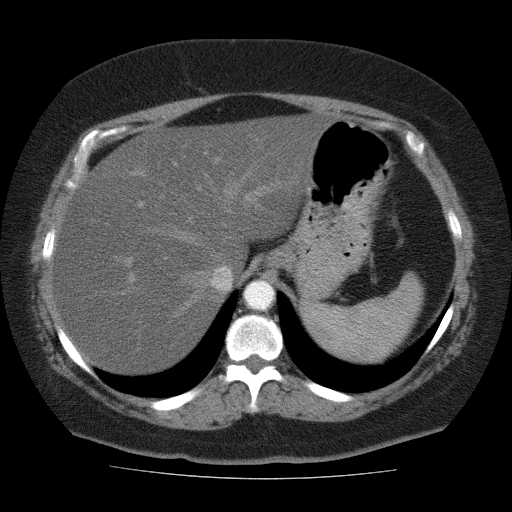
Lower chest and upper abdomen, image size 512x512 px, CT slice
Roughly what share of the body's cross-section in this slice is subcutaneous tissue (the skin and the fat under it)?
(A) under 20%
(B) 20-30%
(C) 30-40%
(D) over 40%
(C) 30-40%
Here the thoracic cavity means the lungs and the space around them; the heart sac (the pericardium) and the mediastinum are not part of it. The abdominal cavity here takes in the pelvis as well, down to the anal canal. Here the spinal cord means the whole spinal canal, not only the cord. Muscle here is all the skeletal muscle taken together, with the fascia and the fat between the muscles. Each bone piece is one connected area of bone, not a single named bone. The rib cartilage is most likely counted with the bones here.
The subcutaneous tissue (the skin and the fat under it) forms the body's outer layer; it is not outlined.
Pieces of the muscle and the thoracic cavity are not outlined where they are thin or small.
The torso is outlined by [[202,37],[300,38],[377,52],[441,83],[472,119],[501,183],[511,239],[511,272],[504,316],[491,355],[463,405],[440,431],[332,461],[203,464],[128,453],[75,436],[40,393],[10,328],[0,271],[4,208],[22,151],[45,110],[76,74],[138,47]]. The thoracic cavity appears in 2 outlined pieces: piece 1: [[278,291],[289,301],[303,332],[320,350],[337,360],[356,366],[380,366],[399,356],[423,336],[434,324],[448,301],[450,294],[452,292],[452,299],[422,354],[403,375],[375,389],[348,393],[330,388],[312,380],[294,363],[285,349],[280,327],[277,301]]; piece 2: [[236,291],[236,303],[223,340],[224,351],[221,351],[219,357],[208,374],[199,383],[188,390],[175,395],[160,398],[139,396],[120,391],[110,386],[104,382],[92,368],[97,368],[110,374],[134,377],[157,374],[175,366],[198,345],[208,331],[222,306]]. The abdominal cavity is outlined by [[234,96],[280,100],[322,117],[395,134],[431,183],[453,238],[453,290],[433,324],[396,357],[380,365],[356,365],[329,355],[304,332],[288,298],[259,273],[227,298],[181,361],[157,373],[130,376],[91,367],[62,327],[51,279],[56,232],[91,154]]. The muscle is outlined by [[251,90],[291,92],[300,94],[329,96],[334,98],[358,102],[383,110],[402,118],[410,122],[423,134],[432,146],[453,182],[457,193],[460,197],[461,203],[473,228],[476,245],[478,309],[476,314],[476,324],[470,338],[470,342],[468,347],[459,359],[446,366],[441,371],[436,373],[430,379],[416,389],[410,391],[393,402],[383,405],[360,417],[347,421],[339,422],[307,421],[286,418],[278,414],[266,414],[265,413],[249,414],[247,413],[244,414],[241,418],[234,421],[230,426],[225,428],[213,430],[190,430],[161,426],[135,417],[124,415],[108,407],[99,400],[88,394],[82,388],[77,386],[65,377],[58,374],[50,367],[46,360],[45,354],[40,347],[41,344],[36,336],[37,332],[34,326],[33,314],[30,309],[30,299],[27,293],[27,278],[29,271],[28,261],[30,253],[30,245],[34,237],[34,231],[36,225],[39,220],[39,213],[42,204],[49,191],[50,184],[55,174],[58,172],[70,148],[81,132],[88,127],[99,122],[166,102],[196,96],[203,96],[206,94]], around a hole outlined by [[234,96],[280,100],[375,130],[380,128],[364,120],[387,121],[412,131],[424,143],[426,162],[402,143],[443,211],[451,208],[461,227],[461,239],[453,239],[454,309],[432,348],[390,383],[353,392],[349,401],[333,401],[304,385],[308,377],[284,348],[274,364],[286,376],[285,383],[264,382],[256,398],[258,411],[251,413],[246,409],[251,400],[247,385],[240,380],[222,384],[217,377],[229,362],[222,350],[192,400],[157,410],[149,405],[157,397],[110,386],[81,368],[62,346],[55,327],[62,324],[52,293],[53,257],[44,259],[42,249],[46,233],[51,227],[57,231],[66,202],[88,170],[86,165],[74,189],[64,185],[84,136],[94,129],[129,126],[97,151]]. The bones appear in 9 outlined pieces: piece 1: [[245,314],[258,314],[271,319],[279,326],[284,345],[274,364],[286,376],[285,383],[273,379],[264,382],[256,398],[258,411],[253,413],[246,409],[251,400],[247,385],[240,380],[222,384],[217,377],[224,372],[229,362],[224,348],[227,329],[233,320]], around a hole outlined by [[251,355],[257,355],[260,358],[261,358],[263,360],[264,360],[266,362],[266,364],[265,365],[264,365],[258,371],[257,371],[256,372],[253,372],[251,370],[250,370],[243,363],[243,361],[244,361],[247,358],[248,358]]; piece 2: [[121,125],[128,125],[129,128],[124,132],[110,137],[109,139],[104,141],[99,147],[95,149],[88,158],[85,171],[77,183],[77,186],[74,189],[67,188],[64,185],[64,183],[71,174],[73,158],[77,152],[79,145],[84,136],[94,129],[105,130]]; piece 3: [[364,120],[387,121],[388,122],[391,122],[402,128],[408,129],[412,131],[415,135],[424,143],[424,152],[427,159],[426,162],[423,162],[422,160],[410,149],[406,142],[402,139],[397,131],[395,130],[381,129],[373,125],[366,123]]; piece 4: [[200,383],[202,384],[202,387],[200,392],[192,400],[183,404],[175,409],[170,409],[169,410],[157,410],[152,408],[149,405],[149,402],[150,401],[157,400],[161,398],[167,398],[168,397],[171,397],[172,396],[175,396],[181,394],[184,392],[188,391]]; piece 5: [[55,325],[58,325],[63,329],[63,330],[65,332],[65,333],[67,335],[67,336],[69,338],[77,351],[79,352],[83,360],[93,370],[93,371],[96,374],[97,377],[95,377],[86,372],[70,358],[68,354],[65,351],[64,348],[62,346],[58,338]]; piece 6: [[306,378],[308,378],[312,381],[322,386],[327,387],[330,389],[350,394],[352,395],[354,397],[354,398],[352,400],[350,400],[349,401],[337,402],[336,401],[333,401],[330,399],[327,399],[326,398],[321,397],[313,393],[304,385],[303,381]]; piece 7: [[451,302],[452,302],[454,304],[454,309],[453,310],[453,313],[452,314],[451,319],[445,331],[442,334],[441,337],[437,341],[437,342],[432,347],[432,348],[426,354],[422,355],[426,347],[433,337],[443,317],[443,315],[445,313],[447,308],[449,306]]; piece 8: [[51,227],[54,227],[55,229],[55,237],[54,238],[54,247],[53,248],[52,255],[50,259],[49,260],[46,260],[42,257],[42,249],[43,248],[43,243],[44,242],[44,238],[46,235],[46,233],[48,231],[48,230],[50,229]]; piece 9: [[450,208],[451,208],[453,210],[456,216],[458,218],[458,220],[459,221],[459,223],[461,227],[461,239],[455,239],[453,237],[452,235],[452,232],[450,230],[450,227],[449,226],[449,224],[448,223],[448,219],[447,218],[447,212]]. The spinal cord is outlined by [[251,355],[257,355],[260,358],[261,358],[263,360],[264,360],[266,362],[266,364],[265,365],[264,365],[258,371],[257,371],[256,372],[253,372],[251,370],[250,370],[243,363],[243,361],[244,361],[247,358],[248,358]]. The mediastinum is outlined by [[254,274],[259,274],[261,275],[262,277],[269,280],[270,282],[275,285],[278,290],[276,293],[276,301],[277,302],[279,325],[271,318],[263,314],[259,314],[258,313],[245,313],[236,317],[231,321],[237,303],[238,292],[240,288],[242,287],[248,278]].